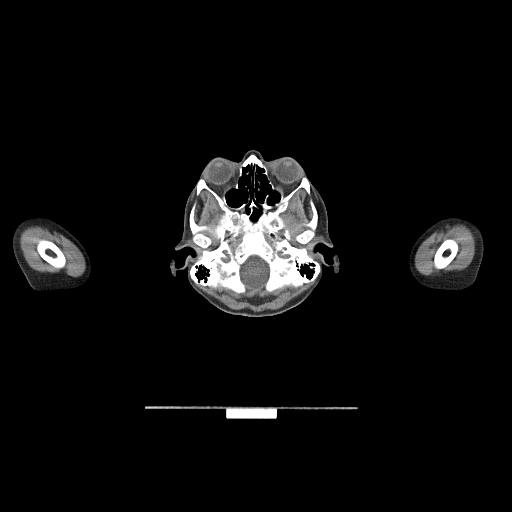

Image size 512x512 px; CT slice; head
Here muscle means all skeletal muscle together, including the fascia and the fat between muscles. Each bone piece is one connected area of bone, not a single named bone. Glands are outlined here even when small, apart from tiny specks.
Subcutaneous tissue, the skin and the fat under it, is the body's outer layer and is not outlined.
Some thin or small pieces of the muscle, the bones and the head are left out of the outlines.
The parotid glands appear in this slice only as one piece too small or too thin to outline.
{"right_arm":[[[33,216],[42,216],[55,221],[69,231],[82,244],[87,252],[91,264],[91,272],[90,275],[87,281],[83,285],[72,289],[56,290],[55,291],[36,291],[31,288],[25,276],[19,267],[14,256],[14,253],[12,248],[12,235],[14,229],[22,220]]],"bones":[{"outer":[[250,154],[263,161],[285,194],[304,176],[309,180],[310,193],[298,189],[280,215],[289,242],[302,247],[295,237],[313,216],[309,200],[315,205],[314,236],[303,246],[320,265],[311,282],[267,293],[269,267],[257,255],[239,270],[254,293],[197,284],[189,274],[202,252],[189,227],[193,203],[198,225],[213,227],[223,212],[209,191],[196,194],[198,180],[237,208],[252,195],[245,187],[251,185],[250,165],[233,188]],"holes":[[[257,168],[262,170],[271,189],[279,194],[279,199],[270,204],[268,203],[269,194],[267,193],[259,204],[261,208],[259,214],[255,220],[252,220],[251,217],[258,208],[256,204],[256,196],[252,192],[258,183],[260,183],[257,179],[257,176],[260,173]],[[206,231],[207,232],[208,232],[211,235],[212,235],[216,239],[217,239],[218,240],[218,244],[216,247],[215,247],[214,248],[212,248],[211,249],[210,249],[209,248],[209,247],[212,244],[212,238],[209,235],[206,234],[204,232],[205,232]]]},[[41,239],[44,239],[45,240],[49,240],[53,242],[61,250],[61,251],[63,253],[65,257],[65,265],[62,268],[57,268],[53,266],[51,264],[47,262],[39,254],[37,250],[37,244],[39,240]],[[446,239],[453,239],[457,243],[458,245],[458,250],[455,256],[453,258],[453,259],[444,268],[442,269],[437,269],[434,266],[434,261],[433,260],[434,259],[434,256],[435,255],[435,253],[437,249],[439,247],[441,243],[444,240]]],"muscle":[{"outer":[[451,223],[464,224],[473,233],[473,235],[475,238],[475,253],[472,261],[465,269],[458,271],[454,271],[451,273],[448,273],[444,275],[423,275],[420,274],[416,270],[414,265],[414,258],[417,249],[421,243],[433,232],[439,230],[447,224],[450,224]],"hole":[[446,239],[453,239],[457,243],[458,245],[458,250],[455,256],[453,258],[453,259],[444,268],[442,269],[437,269],[434,266],[434,261],[433,260],[434,259],[434,256],[435,255],[435,253],[437,249],[439,247],[441,243],[444,240]]},{"outer":[[33,225],[49,227],[54,231],[62,234],[69,239],[80,250],[84,257],[86,268],[83,274],[78,277],[73,277],[64,274],[57,274],[50,272],[39,272],[31,268],[23,256],[19,243],[19,237],[20,233],[23,229],[28,226],[32,226]],"hole":[[41,239],[44,239],[45,240],[49,240],[53,242],[61,250],[61,251],[63,253],[65,257],[65,265],[62,268],[57,268],[53,266],[51,264],[47,262],[39,254],[37,250],[37,244],[39,240]]},[[312,282],[309,287],[283,306],[277,309],[269,309],[259,312],[249,309],[232,309],[198,286],[200,285],[210,287],[220,291],[227,290],[236,294],[246,294],[248,292],[249,294],[254,294],[262,288],[262,291],[268,294],[285,288],[297,288],[304,284]],[[300,189],[304,189],[308,195],[311,193],[311,191],[313,197],[315,198],[319,212],[319,233],[321,237],[319,237],[311,245],[310,248],[315,258],[309,254],[307,248],[304,246],[315,236],[315,231],[318,225],[318,211],[314,201],[311,198],[308,200],[312,211],[312,216],[308,221],[303,222],[301,224],[304,228],[294,237],[294,239],[302,246],[295,246],[290,242],[292,237],[291,230],[281,215],[287,210],[290,199]],[[204,189],[209,192],[214,197],[217,202],[219,208],[222,212],[220,214],[216,223],[213,226],[209,224],[198,224],[195,221],[194,218],[195,210],[197,206],[197,202],[195,200],[194,201],[194,198],[196,195],[198,196],[200,194],[201,191]],[[206,231],[207,232],[208,232],[211,235],[212,235],[216,239],[217,239],[218,240],[218,244],[216,247],[215,247],[214,248],[212,248],[211,249],[210,249],[209,248],[209,247],[212,244],[212,238],[209,235],[206,234],[204,232],[205,232]],[[190,230],[190,232],[192,235],[192,237],[191,238],[192,241],[198,247],[199,247],[201,249],[201,252],[199,254],[199,252],[198,251],[197,248],[194,245],[193,245],[190,242],[189,242],[188,241],[188,238],[189,237],[189,232],[190,231]]],"left_arm":[[[454,215],[463,216],[470,219],[478,226],[481,231],[483,237],[484,248],[483,249],[483,256],[479,267],[477,277],[474,283],[469,288],[463,291],[441,291],[440,290],[430,289],[420,284],[413,277],[409,269],[410,251],[416,240],[427,228],[442,218]]],"head":[{"outer":[[249,149],[301,165],[325,204],[333,245],[314,249],[327,263],[339,258],[337,273],[322,266],[313,291],[273,316],[222,311],[192,288],[187,269],[174,276],[170,269],[171,258],[181,267],[195,255],[191,247],[175,247],[201,171],[214,157],[241,161]],"holes":[[[257,168],[262,170],[271,189],[279,194],[279,199],[270,204],[268,203],[269,194],[267,193],[259,204],[261,208],[259,214],[255,220],[252,220],[251,217],[258,208],[256,204],[256,196],[252,192],[258,183],[260,183],[257,179],[257,176],[260,173]],[[247,166],[250,166],[252,172],[251,175],[248,171],[246,173],[247,176],[249,175],[250,185],[246,184],[244,187],[251,195],[250,194],[245,202],[239,206],[231,207],[227,203],[226,195],[232,189],[235,190],[239,188],[239,179],[243,174],[243,169]]]}],"brain":[[[251,256],[257,256],[259,257],[266,263],[268,267],[268,277],[263,284],[262,287],[260,289],[250,289],[250,288],[248,287],[248,286],[246,285],[246,284],[244,283],[243,281],[242,281],[241,279],[241,277],[240,276],[240,270],[241,269],[241,266]]]}